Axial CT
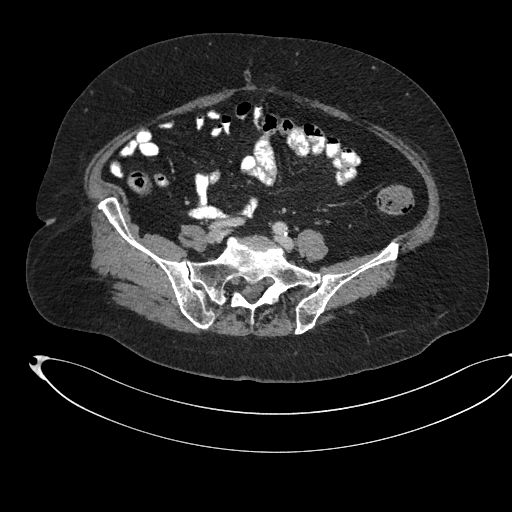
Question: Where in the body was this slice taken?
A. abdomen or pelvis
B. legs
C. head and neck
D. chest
Answer: A. abdomen or pelvis
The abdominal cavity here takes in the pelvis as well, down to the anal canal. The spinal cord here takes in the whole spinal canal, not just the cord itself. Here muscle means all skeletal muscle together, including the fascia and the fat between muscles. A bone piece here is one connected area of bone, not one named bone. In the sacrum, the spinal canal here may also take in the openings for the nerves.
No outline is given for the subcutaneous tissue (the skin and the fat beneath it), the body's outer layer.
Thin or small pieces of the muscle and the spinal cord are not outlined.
{"spinal_cord":[[[261,281],[263,284],[263,288],[262,289],[262,291],[261,292],[261,294],[260,295],[260,296],[254,302],[250,302],[249,301],[248,301],[247,300],[247,299],[244,296],[244,294],[243,293],[243,288],[246,285],[253,285],[254,284],[256,284]]],"bones":[{"outer":[[108,196],[133,237],[171,261],[215,259],[229,237],[255,234],[322,275],[356,268],[393,239],[398,257],[345,282],[302,334],[295,306],[316,288],[304,286],[259,306],[252,326],[247,308],[210,303],[215,319],[202,329],[181,312],[164,270],[98,209]],"holes":[[[261,281],[263,284],[263,288],[262,289],[262,291],[261,292],[261,294],[260,295],[260,296],[254,302],[250,302],[249,301],[248,301],[247,300],[247,299],[244,296],[244,294],[243,293],[243,288],[246,285],[253,285],[254,284],[256,284]],[[267,276],[268,276],[269,276],[270,276],[271,277],[272,278],[273,279],[273,280],[273,281],[273,282],[272,283],[271,284],[270,285],[269,285],[268,285],[267,285],[266,284],[265,283],[264,282],[264,281],[264,280],[264,279],[265,278],[266,277]],[[234,276],[235,276],[236,276],[237,276],[238,277],[239,278],[240,279],[240,280],[240,281],[240,282],[239,283],[238,284],[237,285],[236,285],[235,285],[234,285],[233,284],[232,283],[231,282],[231,281],[231,280],[231,279],[232,278],[233,277]]]}],"torso":[[[202,32],[332,42],[393,65],[428,93],[460,144],[488,248],[488,293],[473,322],[415,356],[376,369],[319,381],[264,383],[169,368],[110,337],[54,325],[37,312],[26,288],[25,259],[31,237],[44,223],[35,201],[65,113],[95,76],[127,53]]],"muscle":[[[254,83],[268,84],[317,99],[378,125],[409,145],[425,160],[437,187],[440,209],[433,236],[397,261],[394,279],[386,289],[350,302],[340,308],[327,323],[306,332],[316,325],[329,300],[345,283],[368,269],[399,257],[400,243],[394,238],[413,228],[424,216],[428,207],[426,184],[403,153],[363,126],[270,91],[241,90],[211,105],[168,115],[142,127],[113,152],[101,169],[104,181],[123,190],[131,220],[137,224],[141,236],[147,233],[158,234],[181,246],[178,237],[181,225],[195,224],[205,233],[205,248],[202,251],[188,248],[188,258],[181,260],[161,257],[134,237],[115,195],[101,199],[96,207],[124,240],[149,256],[163,270],[180,312],[199,329],[207,330],[216,319],[210,304],[222,307],[228,302],[231,308],[247,309],[252,327],[255,311],[259,307],[277,303],[281,295],[292,289],[315,288],[302,296],[294,306],[294,334],[270,337],[182,332],[151,321],[117,304],[111,299],[110,284],[90,266],[93,252],[91,216],[95,206],[87,198],[83,188],[88,163],[106,143],[126,129],[200,96]],[[306,229],[311,229],[312,230],[315,230],[319,232],[323,236],[324,242],[327,246],[328,250],[327,251],[327,253],[321,259],[319,259],[315,261],[308,261],[298,250],[298,246],[296,243],[296,238],[298,234],[300,232]],[[379,251],[376,255],[370,258],[367,261],[358,265],[356,267],[354,267],[346,271],[343,271],[342,272],[326,272],[322,274],[318,271],[322,266],[329,266],[332,264],[341,262],[344,260],[349,260],[351,258],[354,257],[362,256],[365,254],[369,254]]],"abdominal_cavity":[{"outer":[[241,91],[318,108],[397,149],[425,184],[421,219],[380,250],[317,271],[290,262],[261,234],[231,235],[218,256],[202,261],[188,259],[187,250],[206,248],[198,224],[180,225],[181,245],[158,233],[141,235],[124,190],[103,179],[105,163],[142,128]],"hole":[[306,229],[311,229],[312,230],[315,230],[319,232],[323,236],[324,242],[327,246],[328,250],[327,251],[327,253],[321,259],[319,259],[315,261],[308,261],[298,250],[298,246],[296,243],[296,238],[298,234],[300,232]]}]}